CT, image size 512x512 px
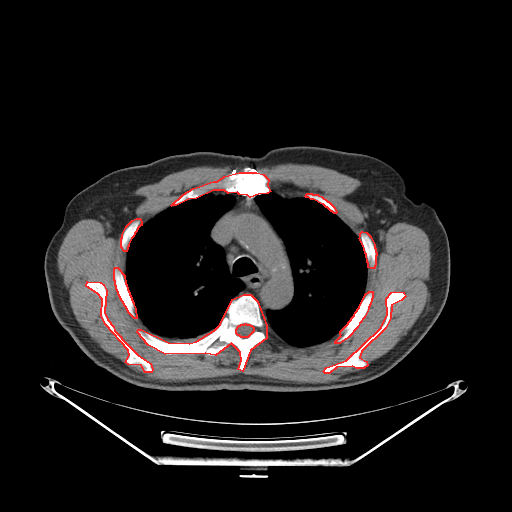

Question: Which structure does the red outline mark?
Answer: red: bones.
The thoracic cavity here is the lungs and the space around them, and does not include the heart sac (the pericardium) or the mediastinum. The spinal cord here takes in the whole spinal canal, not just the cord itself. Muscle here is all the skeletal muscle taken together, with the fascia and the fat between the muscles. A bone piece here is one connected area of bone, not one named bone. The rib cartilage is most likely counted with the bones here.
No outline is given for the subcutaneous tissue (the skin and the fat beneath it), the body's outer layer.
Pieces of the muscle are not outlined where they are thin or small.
{"bones":[{"outer":[[243,294],[250,294],[257,301],[266,325],[266,338],[250,350],[242,371],[238,369],[241,360],[240,352],[231,343],[215,355],[205,353],[165,354],[148,345],[137,332],[138,329],[141,329],[168,342],[189,343],[196,341],[214,330],[220,324],[232,299]],"hole":[[245,323],[246,324],[249,324],[250,325],[251,325],[253,327],[253,331],[247,337],[241,337],[239,335],[238,335],[236,333],[236,329],[237,328],[237,327],[239,325],[240,325],[241,324],[244,324]]},[[239,172],[256,172],[263,174],[268,179],[267,185],[270,191],[267,193],[258,194],[250,197],[247,195],[239,194],[237,192],[228,193],[224,190],[213,190],[196,198],[188,199],[176,205],[171,205],[183,194],[193,188],[213,181],[217,181],[224,176]],[[394,291],[403,292],[405,296],[401,300],[391,305],[390,318],[385,328],[361,351],[359,357],[366,361],[367,365],[363,368],[356,368],[352,366],[336,367],[329,373],[325,373],[323,371],[326,367],[346,360],[381,327],[387,314],[386,298],[391,292]],[[87,281],[100,282],[103,284],[106,290],[104,312],[107,319],[113,326],[114,330],[128,345],[138,355],[150,363],[152,369],[151,372],[145,372],[141,365],[128,364],[125,362],[129,355],[128,350],[105,324],[101,315],[102,299],[97,293],[86,286]],[[369,291],[372,291],[372,298],[371,299],[370,304],[368,307],[368,309],[364,317],[359,323],[357,327],[348,337],[339,343],[335,343],[335,341],[341,335],[340,334],[340,331],[348,323],[348,322],[354,315],[355,312],[359,307],[365,294]],[[115,267],[117,267],[124,275],[125,283],[126,284],[127,289],[129,292],[129,294],[131,297],[131,299],[133,302],[133,304],[135,308],[136,318],[134,318],[129,313],[118,294],[118,292],[116,289],[116,286],[115,285],[115,281],[114,280],[114,268]],[[362,231],[366,232],[370,236],[374,244],[374,247],[375,248],[375,251],[376,252],[376,255],[375,256],[375,265],[374,266],[374,268],[370,268],[368,267],[368,263],[367,262],[366,254],[365,253],[363,245],[359,238],[360,236],[360,233]],[[136,218],[139,218],[140,219],[141,221],[141,225],[140,225],[137,228],[136,231],[134,233],[133,236],[131,238],[128,244],[128,246],[127,247],[127,249],[126,251],[124,251],[121,247],[121,238],[122,237],[122,234],[126,226],[132,220]],[[307,193],[311,193],[312,194],[317,194],[318,195],[321,196],[327,201],[328,201],[334,207],[336,212],[335,213],[334,213],[332,211],[331,211],[327,207],[326,207],[323,204],[322,204],[313,199],[311,199],[308,197],[306,197],[305,196]]],"mediastinum":[[[231,193],[254,197],[261,211],[283,239],[288,252],[293,278],[293,297],[288,305],[281,309],[267,309],[264,317],[259,303],[253,295],[243,293],[234,297],[242,290],[244,283],[240,279],[232,277],[224,249],[210,237],[210,232],[215,223],[235,202]]],"thoracic_cavity":[[[213,191],[226,192],[231,195],[234,202],[214,223],[209,232],[209,237],[223,249],[231,277],[240,280],[243,287],[228,303],[224,315],[214,329],[193,341],[168,341],[151,332],[136,311],[125,279],[127,250],[138,228],[157,214],[170,206],[176,206]],[[271,191],[291,197],[308,198],[323,205],[351,230],[362,245],[367,263],[364,295],[347,323],[339,332],[325,341],[306,346],[293,345],[268,327],[263,318],[267,310],[281,310],[288,306],[294,297],[294,278],[286,243],[262,211],[255,198]]],"muscle":[{"outer":[[87,218],[107,224],[117,236],[123,230],[120,247],[126,252],[125,272],[113,268],[115,289],[128,313],[136,319],[136,312],[149,330],[138,328],[139,337],[165,355],[215,356],[231,344],[239,352],[237,369],[242,372],[251,350],[267,338],[267,327],[297,347],[325,342],[338,333],[334,343],[341,343],[358,327],[371,304],[373,291],[365,293],[365,289],[368,268],[376,265],[378,232],[398,222],[421,228],[429,239],[429,298],[408,333],[366,367],[362,351],[386,328],[392,305],[406,296],[396,290],[386,296],[386,314],[380,327],[350,356],[322,371],[363,369],[351,378],[300,383],[242,373],[185,381],[135,376],[124,371],[80,326],[59,276],[60,245],[69,229]],"hole":[[87,281],[100,282],[103,284],[106,290],[104,312],[107,319],[113,326],[114,330],[128,345],[138,355],[150,363],[152,369],[151,372],[145,372],[141,365],[128,364],[125,362],[129,355],[128,350],[105,324],[101,315],[102,299],[97,293],[86,286]]},[[284,163],[322,166],[357,178],[361,184],[347,198],[365,214],[367,232],[362,230],[358,237],[321,195],[278,193],[271,190],[269,179],[256,171],[227,174],[193,187],[143,224],[139,217],[132,219],[142,200],[134,191],[170,173],[196,166],[256,168]]],"torso":[[[292,145],[321,146],[381,159],[403,177],[411,200],[425,202],[437,213],[450,247],[449,291],[442,311],[418,344],[377,378],[315,391],[159,390],[133,385],[96,365],[57,321],[44,275],[45,251],[69,200],[114,170],[173,154],[216,151],[257,157]]],"spinal_cord":[[[245,323],[246,324],[249,324],[250,325],[251,325],[253,327],[253,331],[247,337],[241,337],[239,335],[238,335],[236,333],[236,329],[237,328],[237,327],[239,325],[240,325],[241,324],[244,324]]]}